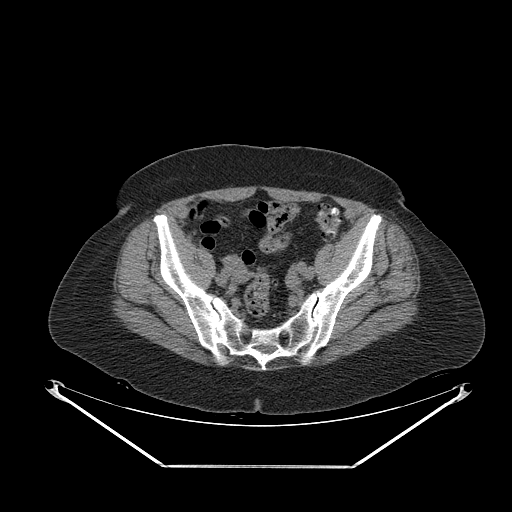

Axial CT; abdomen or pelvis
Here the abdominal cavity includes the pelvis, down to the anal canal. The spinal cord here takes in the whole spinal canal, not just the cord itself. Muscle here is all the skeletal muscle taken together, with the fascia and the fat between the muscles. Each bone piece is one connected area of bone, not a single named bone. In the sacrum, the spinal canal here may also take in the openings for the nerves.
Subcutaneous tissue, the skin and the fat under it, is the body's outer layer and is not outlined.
The muscle is outlined by [[250,185],[330,193],[361,201],[393,218],[411,240],[418,259],[420,290],[415,319],[328,364],[266,370],[267,364],[279,357],[297,356],[298,361],[307,366],[317,351],[328,344],[346,296],[372,270],[377,231],[383,217],[379,213],[370,214],[347,264],[322,287],[314,270],[316,254],[324,245],[334,244],[350,228],[343,207],[327,196],[284,201],[258,189],[237,200],[200,196],[188,208],[182,229],[194,244],[208,251],[215,264],[207,291],[186,272],[168,216],[157,213],[152,222],[158,240],[160,276],[182,300],[199,344],[212,354],[215,362],[217,365],[220,367],[223,367],[224,366],[228,364],[229,356],[249,355],[260,371],[240,367],[216,367],[204,365],[121,325],[112,314],[112,281],[119,251],[131,229],[164,202],[206,190]]. The abdominal cavity is outlined by [[258,190],[284,202],[317,201],[327,197],[342,207],[349,227],[334,243],[324,244],[315,254],[313,270],[321,288],[307,295],[295,313],[271,327],[249,327],[220,296],[208,292],[216,270],[214,258],[183,229],[189,208],[200,197],[237,201]]. The bones are outlined by [[157,214],[167,216],[189,277],[220,297],[249,328],[271,328],[295,314],[307,296],[346,267],[371,214],[382,221],[371,270],[345,296],[327,344],[307,365],[297,355],[279,356],[261,370],[249,354],[229,355],[220,366],[200,344],[183,300],[160,273]] with holes at [[284,330],[285,330],[286,331],[287,331],[287,332],[288,333],[288,342],[287,343],[287,344],[286,344],[285,345],[284,345],[283,344],[282,344],[282,343],[281,342],[281,341],[280,340],[280,335],[281,334],[281,333],[282,332],[282,331],[283,331]] and at [[244,328],[247,328],[248,329],[249,329],[249,330],[250,331],[250,335],[249,336],[249,338],[248,339],[248,340],[247,340],[246,341],[244,341],[243,340],[242,340],[242,339],[241,338],[241,331],[242,330],[242,329],[243,329]] and at [[259,346],[271,346],[272,347],[274,347],[275,348],[274,349],[274,350],[273,351],[272,351],[271,352],[270,352],[269,353],[268,353],[267,352],[263,352],[262,351],[261,351],[259,349],[258,349],[256,347],[258,347]]. The spinal cord appears in 3 outlined pieces: piece 1: [[244,328],[247,328],[248,329],[249,329],[249,330],[250,331],[250,335],[249,336],[249,338],[248,339],[248,340],[247,340],[246,341],[244,341],[243,340],[242,340],[242,339],[241,338],[241,331],[242,330],[242,329],[243,329]]; piece 2: [[284,330],[285,330],[286,331],[287,331],[287,332],[288,333],[288,342],[287,343],[287,344],[286,344],[285,345],[284,345],[283,344],[282,344],[282,343],[281,342],[281,341],[280,340],[280,335],[281,334],[281,333],[282,332],[282,331],[283,331]]; piece 3: [[259,346],[271,346],[272,347],[274,347],[275,348],[274,349],[274,350],[273,351],[272,351],[271,352],[270,352],[269,353],[268,353],[267,352],[263,352],[262,351],[261,351],[259,349],[258,349],[256,347],[258,347]]. The torso is outlined by [[222,143],[329,149],[356,157],[394,179],[405,205],[451,248],[474,285],[485,319],[485,337],[476,356],[461,367],[433,372],[347,407],[266,415],[212,413],[166,402],[59,347],[47,325],[52,298],[80,247],[115,214],[114,198],[122,183],[161,157]].